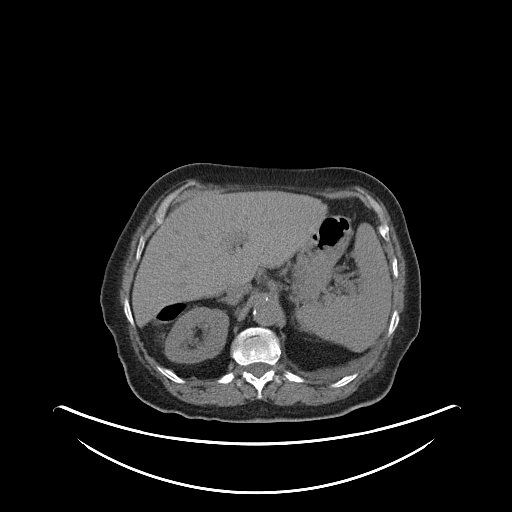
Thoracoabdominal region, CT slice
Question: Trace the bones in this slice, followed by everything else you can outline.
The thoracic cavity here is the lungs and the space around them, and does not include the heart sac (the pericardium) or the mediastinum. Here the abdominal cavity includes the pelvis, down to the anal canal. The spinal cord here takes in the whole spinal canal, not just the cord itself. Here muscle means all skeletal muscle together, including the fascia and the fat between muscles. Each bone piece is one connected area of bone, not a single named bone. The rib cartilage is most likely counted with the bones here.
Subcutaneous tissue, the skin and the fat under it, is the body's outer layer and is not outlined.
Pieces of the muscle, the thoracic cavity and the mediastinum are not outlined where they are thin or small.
Answer: Outlines (x, y in pixels):
bones 1: 249 327; 267 328; 277 336; 281 350; 274 366; 277 374; 281 375; 286 369; 301 376; 305 381; 268 381; 261 390; 260 399; 257 398; 257 390; 251 383; 242 379; 238 386; 236 381; 241 378; 243 368; 232 356; 232 344; 236 336 with a hole at 259 362; 261 362; 262 363; 265 363; 266 364; 267 364; 269 366; 269 368; 263 374; 262 374; 258 377; 257 376; 255 376; 252 373; 249 372; 246 369; 246 367; 250 364; 252 364; 253 363; 258 363
bones 2: 193 181; 195 181; 193 184; 190 184; 185 187; 181 191; 180 191; 179 193; 178 193; 170 202; 163 216; 163 219; 162 221; 157 225; 155 221; 155 216; 154 215; 158 206; 162 200; 168 194; 174 190; 179 188; 183 185; 188 184
bones 3: 366 195; 369 195; 372 198; 373 198; 380 206; 383 212; 383 215; 384 216; 384 218; 389 228; 389 240; 388 241; 386 241; 382 237; 379 231; 379 229; 378 227; 380 224; 380 221; 378 219; 377 214; 372 208; 370 203; 366 198
bones 4: 156 365; 160 365; 161 366; 163 366; 164 367; 165 367; 166 368; 171 370; 173 372; 174 372; 179 377; 184 379; 184 380; 185 381; 185 383; 177 383; 176 382; 171 380; 166 376; 163 375; 159 371; 158 371; 155 368
bones 5: 395 309; 396 309; 398 311; 398 313; 399 314; 399 321; 394 331; 390 335; 387 336; 387 330; 388 329; 388 326; 389 325; 389 323; 390 322; 390 319; 392 315; 392 312; 393 310
bones 6: 125 297; 127 297; 129 299; 129 303; 130 304; 130 308; 131 309; 131 312; 132 313; 132 315; 133 316; 133 319; 134 320; 134 326; 133 326; 128 321; 128 320; 127 319; 127 318; 124 313; 124 311; 123 310; 123 301; 124 300
bones 7: 354 372; 356 372; 357 373; 357 375; 351 381; 348 382; 346 384; 345 384; 342 386; 340 386; 339 387; 331 387; 330 386; 330 385; 332 383; 333 383; 334 382; 339 380; 344 376; 345 376; 346 375; 348 375; 349 374; 351 374
bones 8: 142 235; 143 235; 145 237; 145 243; 144 244; 144 246; 143 247; 143 249; 142 250; 142 252; 141 253; 140 258; 139 259; 139 260; 138 261; 137 261; 136 260; 136 250; 137 249; 137 246; 138 245; 138 242; 139 241; 139 238
bones 9: 231 371; 233 371; 235 373; 235 377; 233 380; 232 380; 231 381; 230 381; 227 383; 219 383; 216 381; 218 378; 219 378; 221 376; 222 376; 223 375; 224 375; 225 374; 226 374; 227 373; 228 373
bones 10: 394 256; 395 257; 396 257; 396 258; 397 259; 397 272; 398 273; 398 274; 397 275; 397 277; 396 278; 394 278; 394 277; 393 276; 393 272; 392 271; 392 262; 391 261; 391 260; 392 259; 392 258
spinal cord: 259 362; 261 362; 262 363; 265 363; 266 364; 267 364; 269 366; 269 368; 263 374; 262 374; 258 377; 257 376; 255 376; 252 373; 249 372; 246 369; 246 367; 250 364; 252 364; 253 363; 258 363
muscle 1: 187 179; 221 185; 291 185; 321 189; 343 189; 355 185; 378 198; 390 216; 405 261; 404 310; 383 367; 345 398; 319 405; 282 406; 262 400; 233 406; 197 405; 171 394; 138 359; 131 344; 126 318; 135 327; 147 354; 159 364; 154 368; 171 381; 185 384; 185 380; 216 379; 219 384; 227 384; 236 377; 233 370; 229 371; 234 361; 242 368; 235 384; 239 387; 242 380; 251 384; 258 400; 262 398; 264 386; 271 381; 277 384; 284 380; 303 383; 306 381; 303 376; 333 380; 329 385; 331 388; 346 385; 358 375; 355 371; 368 359; 386 332; 386 336; 390 336; 400 321; 399 311; 393 309; 394 279; 399 274; 398 259; 394 255; 390 258; 386 245; 390 240; 390 228; 381 206; 369 194; 365 198; 374 212; 357 196; 329 198; 280 187; 248 187; 195 194; 170 205; 195 180; 174 189; 161 200; 153 215; 156 227; 146 240; 143 234; 138 238; 135 250; 138 262; 129 298; 124 297; 122 307; 119 290; 134 233; 153 203
muscle 2: 280 358; 281 358; 282 359; 282 362; 284 364; 284 365; 288 369; 285 368; 282 371; 281 374; 280 374; 279 373; 277 373; 276 372; 276 370; 275 369; 275 366; 276 365; 276 364; 278 362; 278 361; 280 359
abdominal cavity: 248 188; 295 190; 329 199; 357 197; 375 214; 391 262; 393 303; 387 329; 364 362; 325 375; 291 371; 281 357; 280 308; 269 297; 249 306; 231 344; 232 366; 217 378; 185 379; 148 354; 130 303; 146 241; 169 206; 195 195
torso: 195 162; 287 168; 343 166; 364 171; 391 190; 404 213; 419 264; 421 319; 418 334; 403 356; 390 390; 382 399; 325 419; 240 423; 162 412; 133 393; 117 356; 113 337; 102 316; 100 288; 104 269; 120 232; 145 190; 166 172
thoracic cavity: 361 363; 363 363; 354 371; 353 371; 351 373; 349 373; 348 374; 344 375; 337 380; 334 380; 333 379; 324 379; 323 378; 310 377; 311 376; 325 376; 326 375; 333 374; 336 372; 341 372; 342 371; 347 370; 354 366; 356 366
mediastinum: 260 298; 269 298; 271 299; 277 305; 277 307; 279 308; 279 313; 281 315; 281 318; 280 319; 279 334; 278 335; 270 328; 262 326; 249 326; 240 331; 240 329; 244 321; 244 318; 246 317; 246 314; 248 312; 250 306; 257 299